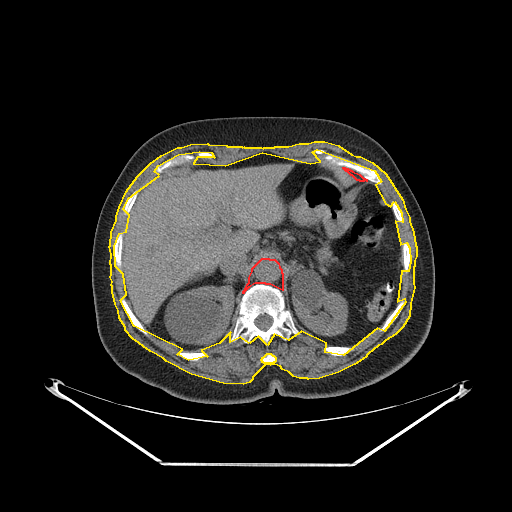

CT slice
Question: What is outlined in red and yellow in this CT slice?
Answer: red: mediastinum; yellow: muscle.
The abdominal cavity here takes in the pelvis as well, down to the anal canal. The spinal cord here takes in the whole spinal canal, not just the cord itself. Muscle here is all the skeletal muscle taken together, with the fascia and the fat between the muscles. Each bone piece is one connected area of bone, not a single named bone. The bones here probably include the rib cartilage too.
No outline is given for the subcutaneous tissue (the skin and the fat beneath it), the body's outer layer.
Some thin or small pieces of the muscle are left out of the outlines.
Outlines (x, y in pixels):
mediastinum 1: 262 258; 268 258; 269 259; 274 259; 278 263; 279 267; 281 269; 281 272; 282 273; 282 290; 270 284; 266 284; 265 283; 255 283; 248 287; 244 291; 243 293; 243 291; 245 289; 247 284; 249 282; 249 277; 252 271; 252 268
mediastinum 2: 343 167; 344 167; 345 168; 347 168; 348 169; 349 169; 350 170; 351 170; 352 171; 359 174; 363 178; 364 178; 366 180; 367 180; 364 180; 363 181; 360 181; 359 180; 357 180; 352 175; 351 175; 347 171; 346 171; 343 168
muscle: 314 141; 324 141; 338 145; 351 154; 356 156; 360 156; 372 162; 385 173; 402 199; 405 209; 409 217; 409 221; 413 232; 415 245; 416 246; 416 256; 414 260; 414 266; 413 267; 413 283; 414 287; 410 303; 409 316; 402 327; 395 334; 385 340; 381 344; 378 345; 367 354; 365 357; 354 364; 338 372; 319 378; 308 379; 307 378; 299 378; 293 376; 289 372; 282 369; 280 366; 274 364; 270 365; 265 364; 252 377; 252 379; 249 382; 243 384; 223 383; 191 374; 166 361; 163 358; 150 351; 132 338; 125 330; 125 327; 119 318; 118 310; 115 304; 112 291; 112 286; 111 285; 112 281; 110 277; 111 274; 111 265; 110 264; 111 254; 109 246; 110 245; 111 232; 116 220; 116 216; 119 207; 126 191; 137 176; 150 163; 161 155; 177 147; 181 147; 190 144; 207 143; 208 144; 226 145; 227 146; 241 146; 242 147; 243 146; 244 147; 261 147; 263 148; 264 147; 274 147; 275 146; 288 146; 299 143; 308 143 with holes at 317 149; 374 170; 381 181; 375 185; 385 203; 390 206; 394 201; 401 212; 402 222; 395 221; 400 244; 406 242; 409 247; 410 261; 408 271; 401 271; 397 301; 404 298; 405 302; 384 331; 377 328; 343 355; 325 352; 326 343; 301 331; 288 340; 274 334; 267 345; 258 336; 249 343; 240 337; 230 342; 230 332; 219 343; 201 350; 207 356; 188 360; 177 354; 182 349; 134 326; 120 300; 126 294; 123 274; 115 266; 114 246; 119 233; 126 231; 129 215; 123 209; 128 198; 159 175; 154 171; 158 165; 178 154; 199 151; 211 152; 214 157; 197 157; 193 163; 225 165; 262 152; 310 163; 320 161; 312 152 and at 267 353; 270 353; 272 355; 273 355; 275 357; 275 361; 274 362; 273 362; 272 363; 264 363; 263 362; 262 362; 262 361; 261 360; 261 359; 262 358; 262 357; 263 357
spinal cord: 264 314; 266 314; 267 315; 268 315; 269 316; 270 316; 272 318; 272 323; 271 324; 271 325; 266 330; 262 330; 261 329; 260 329; 255 324; 255 319; 258 316; 259 316; 260 315; 263 315
torso: 257 115; 343 122; 368 134; 387 150; 413 192; 429 231; 435 267; 431 327; 419 351; 404 366; 347 394; 306 399; 275 391; 269 397; 245 404; 190 402; 126 373; 104 349; 92 292; 94 233; 115 180; 131 155; 151 136; 196 119
bones 1: 255 284; 270 285; 281 291; 284 297; 285 307; 291 313; 294 324; 300 334; 291 334; 288 340; 283 340; 274 334; 271 336; 267 345; 258 336; 255 336; 249 343; 244 343; 240 337; 233 342; 229 341; 238 317; 241 298; 245 291 with a hole at 264 314; 266 314; 267 315; 268 315; 269 316; 270 316; 272 318; 272 323; 271 324; 271 325; 266 330; 262 330; 261 329; 260 329; 255 324; 255 319; 258 316; 259 316; 260 315; 263 315
bones 2: 317 149; 324 149; 327 152; 342 156; 349 160; 355 161; 367 168; 370 168; 374 170; 378 175; 381 181; 381 184; 379 185; 371 182; 363 177; 359 173; 347 167; 344 166; 332 166; 322 163; 319 159; 320 156; 312 152
bones 3: 199 151; 208 151; 211 152; 214 155; 213 158; 201 158; 200 157; 197 157; 191 163; 186 163; 185 164; 170 167; 161 173; 156 173; 154 171; 158 165; 163 163; 169 158; 173 156; 182 153; 195 154
bones 4: 121 297; 123 297; 125 298; 125 299; 127 301; 127 303; 129 305; 134 315; 149 333; 149 335; 148 336; 145 335; 139 330; 138 330; 130 321; 130 320; 126 315; 126 313; 122 306; 122 304; 120 300; 120 298
bones 5: 121 232; 122 232; 123 233; 123 241; 122 242; 122 251; 121 252; 121 271; 119 271; 118 270; 117 270; 117 269; 115 266; 115 260; 114 259; 114 246; 115 245; 115 241; 116 240; 116 238; 118 236; 119 233; 120 233
bones 6: 403 298; 405 299; 405 302; 404 303; 404 305; 402 309; 400 311; 399 314; 395 319; 395 320; 384 331; 382 332; 380 331; 379 330; 379 328; 384 323; 385 320; 396 307; 398 302; 400 301
bones 7: 326 346; 351 346; 353 348; 353 350; 352 351; 351 351; 350 352; 349 352; 348 353; 346 353; 345 354; 344 354; 343 355; 332 355; 331 354; 330 354; 329 353; 327 353; 326 352; 325 352; 323 350; 323 348; 324 347; 325 347
bones 8: 179 351; 194 351; 195 352; 201 352; 202 351; 204 351; 207 353; 207 356; 206 356; 205 357; 202 357; 201 358; 200 358; 198 360; 188 360; 187 359; 185 359; 184 358; 183 358; 182 357; 179 356; 177 354; 177 352; 178 352
bones 9: 403 242; 406 242; 407 243; 407 244; 409 247; 409 251; 410 252; 410 257; 409 258; 410 259; 410 261; 409 262; 409 267; 408 268; 408 271; 406 273; 405 273; 403 270; 403 265; 402 264; 402 246; 401 245
bones 10: 136 189; 138 189; 139 190; 139 192; 137 195; 137 197; 136 198; 133 205; 131 207; 131 209; 130 210; 129 213; 128 214; 125 215; 123 213; 123 209; 124 208; 124 206; 125 205; 128 198; 130 196; 130 195
bones 11: 392 200; 395 202; 395 203; 397 205; 397 206; 399 208; 399 209; 401 212; 401 214; 402 215; 402 222; 399 222; 396 219; 396 218; 395 217; 395 216; 393 213; 393 211; 392 210; 392 208; 391 207; 391 201
bones 12: 267 353; 270 353; 272 355; 273 355; 275 357; 275 361; 274 362; 273 362; 272 363; 264 363; 263 362; 262 362; 262 361; 261 360; 261 359; 262 358; 262 357; 263 357
abdominal cavity: 262 152; 342 167; 357 181; 381 190; 401 246; 402 285; 395 307; 358 342; 328 345; 296 326; 282 292; 282 269; 274 258; 262 257; 251 268; 227 337; 201 351; 161 342; 135 315; 124 290; 124 233; 138 195; 170 168; 225 165